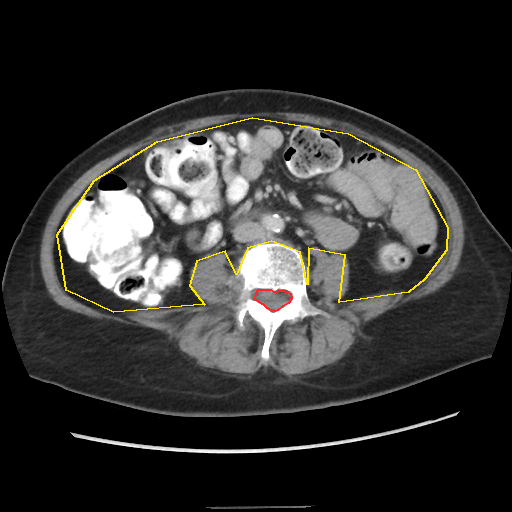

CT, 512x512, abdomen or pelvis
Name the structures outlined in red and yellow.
red: spinal cord; yellow: abdominal cavity.
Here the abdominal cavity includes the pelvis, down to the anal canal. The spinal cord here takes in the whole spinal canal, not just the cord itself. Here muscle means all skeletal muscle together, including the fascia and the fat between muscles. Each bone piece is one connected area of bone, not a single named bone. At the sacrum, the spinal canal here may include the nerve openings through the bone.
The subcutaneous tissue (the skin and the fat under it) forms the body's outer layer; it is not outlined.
{"spinal_cord":[[[258,289],[270,289],[273,291],[277,291],[278,290],[283,290],[284,291],[287,291],[290,293],[291,298],[288,303],[282,306],[277,310],[275,311],[272,311],[268,308],[267,308],[263,304],[262,304],[254,298],[256,294],[256,292]]],"abdominal_cavity":[[[252,117],[348,133],[415,169],[447,227],[446,250],[424,279],[408,292],[339,302],[345,255],[308,248],[307,284],[300,252],[271,241],[247,248],[236,274],[225,251],[196,261],[189,285],[204,304],[113,312],[66,290],[57,234],[94,180],[157,141]]],"bones":[{"outer":[[271,242],[290,245],[299,252],[305,264],[309,300],[329,316],[317,314],[294,322],[285,320],[273,335],[269,359],[264,360],[261,358],[264,330],[248,313],[244,329],[239,329],[237,310],[232,306],[243,285],[243,278],[237,275],[239,258],[252,246]],"hole":[[258,289],[270,289],[273,291],[277,291],[278,290],[283,290],[284,291],[287,291],[290,293],[291,298],[288,303],[282,306],[277,310],[275,311],[272,311],[268,308],[267,308],[263,304],[262,304],[254,298],[256,294],[256,292]]}],"torso":[[[233,88],[299,91],[357,107],[418,137],[454,167],[484,213],[511,246],[507,303],[499,335],[489,358],[361,401],[291,413],[237,417],[182,417],[143,411],[72,392],[29,375],[8,321],[2,278],[11,246],[42,190],[74,156],[121,125],[189,96]]],"muscle":[{"outer":[[277,111],[308,113],[348,122],[366,131],[401,145],[423,160],[440,176],[449,187],[450,191],[453,194],[457,202],[464,225],[464,243],[459,264],[453,277],[443,286],[433,293],[419,299],[408,301],[395,308],[387,310],[377,317],[368,321],[361,329],[351,347],[336,362],[319,370],[313,370],[302,374],[286,373],[270,367],[259,369],[250,374],[240,374],[239,375],[212,369],[201,365],[182,352],[175,340],[163,331],[149,327],[126,324],[114,320],[98,319],[89,317],[81,313],[66,309],[53,300],[46,288],[40,267],[40,245],[42,234],[47,219],[57,201],[75,180],[84,172],[99,161],[116,153],[147,135],[181,121],[210,115],[231,114],[232,113],[276,112]],"hole":[[252,117],[348,133],[415,169],[447,227],[424,279],[339,302],[348,259],[308,248],[306,291],[329,316],[285,320],[268,360],[260,325],[247,313],[237,326],[243,278],[225,251],[189,270],[204,304],[113,312],[66,290],[57,234],[94,180],[157,141]]}]}